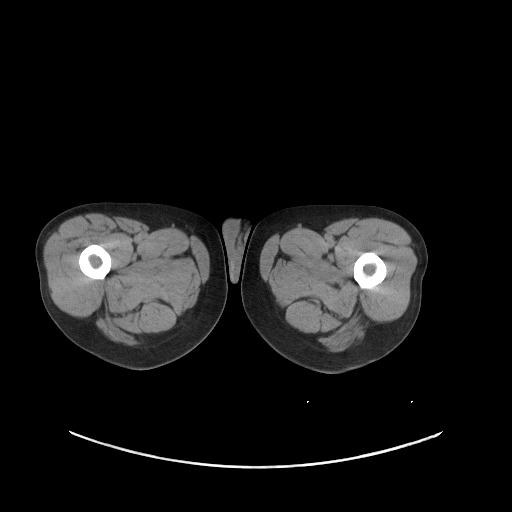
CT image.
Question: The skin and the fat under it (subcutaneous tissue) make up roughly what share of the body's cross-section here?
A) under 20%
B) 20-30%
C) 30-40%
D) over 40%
Answer: C) 30-40%
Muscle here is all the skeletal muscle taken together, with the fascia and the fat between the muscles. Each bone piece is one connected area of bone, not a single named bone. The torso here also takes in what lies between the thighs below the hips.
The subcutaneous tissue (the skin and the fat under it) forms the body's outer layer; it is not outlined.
Outlined structures:
left leg: 305 204; 367 204; 390 209; 405 217; 418 229; 427 248; 428 261; 422 280; 421 306; 412 329; 405 339; 386 356; 358 369; 343 373; 326 373; 303 367; 288 360; 264 341; 250 323; 243 309; 240 279; 247 242; 252 228; 274 211
right leg: 98 201; 153 202; 182 207; 206 218; 220 234; 227 269; 227 298; 224 309; 218 322; 205 339; 191 351; 172 362; 147 370; 131 370; 108 363; 83 350; 69 340; 53 322; 43 305; 34 254; 35 243; 40 230; 58 213; 79 204
torso: 229 214; 232 214; 240 217; 246 217; 251 220; 252 224; 252 227; 246 242; 246 247; 244 253; 244 258; 243 259; 243 264; 240 278; 235 284; 233 284; 229 279; 228 281; 228 269; 227 268; 226 255; 221 237; 221 223; 222 220
muscle 1: 91 212; 123 216; 155 226; 169 223; 179 225; 190 230; 209 247; 210 283; 197 324; 185 327; 169 340; 153 348; 129 348; 108 339; 92 321; 86 318; 73 317; 54 304; 50 296; 43 262; 44 244; 52 230; 62 221; 79 214; inner edge: 90 244; 100 244; 109 253; 109 254; 111 257; 111 267; 110 268; 110 270; 103 279; 92 279; 91 278; 88 277; 86 275; 85 275; 81 271; 81 270; 79 267; 79 265; 78 264; 78 256; 79 255; 80 252; 85 247; 86 247
muscle 2: 357 215; 378 217; 400 225; 411 236; 420 253; 418 271; 410 292; 408 307; 398 319; 376 324; 362 342; 356 346; 342 352; 325 353; 287 331; 275 318; 269 308; 262 284; 259 271; 259 257; 265 241; 276 231; 284 227; 299 223; inner edge: 365 252; 374 252; 376 253; 385 262; 386 264; 386 269; 387 270; 386 272; 386 275; 384 279; 380 283; 379 283; 371 289; 367 289; 366 288; 364 289; 363 288; 361 288; 353 277; 353 265; 354 264; 354 262; 360 255; 363 254
bones 1: 365 252; 374 252; 376 253; 385 262; 386 264; 386 269; 387 270; 386 272; 386 275; 384 279; 380 283; 379 283; 371 289; 367 289; 366 288; 364 289; 363 288; 361 288; 353 277; 353 265; 354 264; 354 262; 360 255; 363 254
bones 2: 90 244; 100 244; 109 253; 109 254; 111 257; 111 267; 110 268; 110 270; 103 279; 92 279; 91 278; 88 277; 86 275; 85 275; 81 271; 81 270; 79 267; 79 265; 78 264; 78 256; 79 255; 80 252; 85 247; 86 247